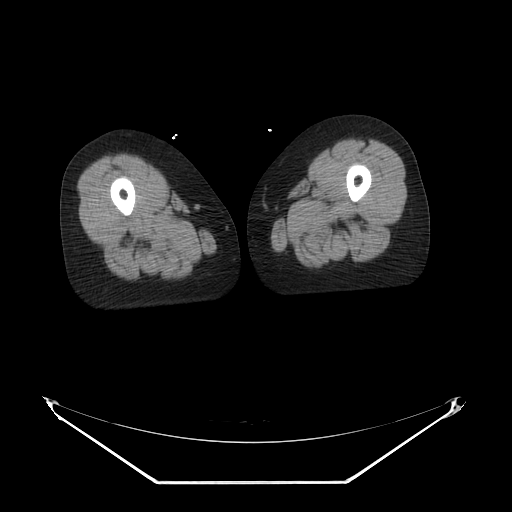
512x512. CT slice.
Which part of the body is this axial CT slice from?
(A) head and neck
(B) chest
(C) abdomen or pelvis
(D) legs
(D) legs
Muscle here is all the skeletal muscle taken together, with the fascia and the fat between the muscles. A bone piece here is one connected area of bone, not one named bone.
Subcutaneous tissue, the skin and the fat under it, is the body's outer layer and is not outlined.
{"right_leg":[[[126,127],[134,127],[152,132],[181,151],[199,170],[227,208],[237,231],[241,256],[241,272],[234,288],[223,298],[207,303],[105,312],[94,310],[84,304],[75,295],[70,287],[64,267],[59,227],[59,197],[64,170],[72,156],[86,142],[106,131]]],"bones":[[[354,163],[359,163],[360,164],[363,164],[365,165],[369,169],[370,173],[371,174],[371,184],[370,185],[370,187],[365,193],[365,194],[358,201],[356,202],[354,202],[350,199],[348,192],[347,191],[347,188],[346,187],[346,173],[347,172],[348,167]],[[120,176],[125,176],[127,177],[132,182],[134,186],[134,189],[135,190],[135,203],[134,204],[134,207],[131,213],[129,215],[124,215],[114,205],[111,199],[111,197],[110,196],[110,185],[112,181],[114,179]]],"left_leg":[[[344,113],[366,114],[386,121],[405,137],[412,148],[426,192],[430,214],[430,245],[425,268],[421,275],[407,287],[316,295],[278,296],[262,285],[252,267],[247,247],[246,235],[247,211],[250,197],[263,172],[294,137],[307,126],[318,120],[328,116]]],"muscle":[{"outer":[[350,137],[377,139],[390,146],[401,157],[406,171],[407,188],[407,199],[402,216],[390,239],[389,246],[384,253],[372,261],[331,272],[300,268],[272,250],[270,234],[273,222],[278,217],[288,192],[299,181],[311,160],[325,148],[331,147],[336,141]],"hole":[[354,163],[359,163],[360,164],[363,164],[365,165],[369,169],[370,173],[371,174],[371,184],[370,185],[370,187],[365,193],[365,194],[358,201],[356,202],[354,202],[350,199],[348,192],[347,191],[347,188],[346,187],[346,173],[347,172],[348,167]]},{"outer":[[119,152],[137,154],[158,168],[171,188],[213,235],[217,244],[216,253],[191,276],[181,281],[166,283],[130,283],[123,281],[112,275],[105,267],[100,257],[100,252],[84,232],[78,217],[77,180],[83,170],[92,162],[103,155]],"hole":[[120,176],[125,176],[127,177],[132,182],[134,186],[134,189],[135,190],[135,203],[134,204],[134,207],[131,213],[129,215],[124,215],[114,205],[111,199],[111,197],[110,196],[110,185],[112,181],[114,179]]}]}